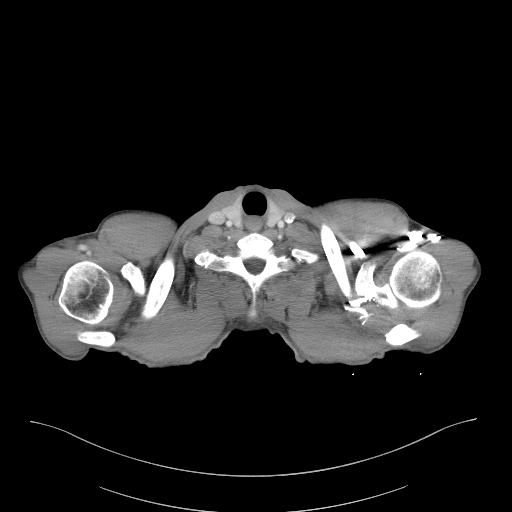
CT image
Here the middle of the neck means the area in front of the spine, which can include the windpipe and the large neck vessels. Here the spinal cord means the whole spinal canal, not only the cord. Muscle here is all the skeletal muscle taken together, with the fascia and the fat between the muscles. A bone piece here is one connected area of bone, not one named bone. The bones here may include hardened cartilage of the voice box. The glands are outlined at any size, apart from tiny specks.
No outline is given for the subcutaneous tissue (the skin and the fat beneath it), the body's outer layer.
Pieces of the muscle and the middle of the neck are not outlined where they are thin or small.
{"muscle":[{"outer":[[247,187],[280,191],[313,209],[344,200],[389,203],[402,212],[412,230],[465,246],[476,273],[443,340],[430,347],[407,343],[422,334],[398,322],[383,334],[389,345],[364,359],[315,358],[302,353],[282,323],[235,318],[201,352],[153,362],[112,346],[116,337],[107,329],[78,331],[76,339],[86,344],[74,355],[45,335],[23,277],[43,250],[96,238],[109,218],[122,213],[165,217],[175,232],[218,196]],"holes":[[[253,189],[296,217],[282,230],[258,232],[274,243],[277,253],[299,248],[316,253],[318,259],[269,277],[256,296],[257,315],[250,319],[252,294],[247,283],[229,271],[205,268],[194,257],[205,249],[220,256],[231,252],[250,232],[222,227],[208,219]],[[323,222],[338,242],[352,287],[362,264],[377,263],[373,281],[382,286],[388,282],[392,267],[400,257],[411,249],[420,249],[431,254],[439,263],[442,280],[438,299],[421,308],[403,305],[389,308],[374,301],[350,304],[338,285],[321,243],[320,226]],[[83,260],[89,260],[92,261],[105,269],[107,271],[113,285],[113,298],[112,299],[112,302],[108,308],[107,315],[101,321],[95,324],[86,323],[69,316],[64,312],[58,303],[58,298],[62,286],[62,278],[66,270],[76,262],[82,261]],[[170,240],[171,242],[166,252],[171,253],[174,259],[175,269],[173,280],[167,296],[155,316],[145,320],[140,315],[145,297],[140,296],[133,291],[130,283],[122,276],[120,270],[126,262],[129,261],[133,263],[142,271],[147,286],[165,256],[162,254]]]}],"left_arm":[[[417,221],[426,226],[436,229],[446,235],[458,238],[466,242],[477,254],[482,265],[481,276],[467,299],[461,323],[455,335],[445,346],[442,346],[437,343],[429,341],[413,332],[403,322],[399,316],[392,298],[390,289],[391,260],[403,234],[413,223]]],"thyroid_glands":[[[242,194],[243,194],[241,197],[241,200],[240,201],[240,209],[241,210],[241,225],[242,226],[242,228],[241,229],[236,226],[231,221],[230,221],[226,217],[226,216],[224,215],[222,212],[222,210],[225,207],[229,206],[232,203],[233,203],[235,200]],[[267,197],[268,197],[272,201],[273,201],[278,206],[279,206],[280,208],[281,208],[284,211],[284,213],[281,216],[280,219],[272,227],[269,227],[267,226],[266,224],[266,219],[268,215],[268,201],[267,200]]],"middle_of_the_neck":[[[253,189],[260,190],[268,196],[266,197],[267,215],[265,219],[265,224],[267,227],[272,228],[284,214],[288,223],[290,221],[290,212],[295,215],[295,220],[282,230],[278,228],[262,229],[259,231],[250,231],[243,229],[241,201],[244,194],[243,193]],[[217,211],[221,212],[223,214],[223,215],[225,216],[225,217],[230,222],[231,222],[236,227],[238,228],[236,228],[235,227],[228,227],[227,225],[222,227],[214,223],[211,223],[209,222],[208,219],[209,218],[210,214],[213,212],[216,212]]],"spinal_cord":[[[250,258],[257,258],[258,259],[260,259],[261,260],[262,260],[264,262],[264,265],[263,266],[262,269],[259,272],[258,272],[257,273],[252,273],[247,269],[247,268],[245,265],[245,263],[244,262],[244,261],[245,260],[246,260],[247,259],[249,259]]],"torso":[[[250,183],[306,204],[373,196],[402,206],[416,221],[390,260],[392,302],[413,333],[443,347],[390,351],[363,365],[299,363],[265,329],[234,330],[183,366],[148,368],[95,350],[116,289],[115,255],[95,230],[99,222],[124,208],[182,221],[216,193]]],"right_arm":[[[94,230],[102,242],[114,255],[115,289],[113,294],[112,307],[107,327],[93,349],[91,349],[87,355],[81,360],[69,360],[61,357],[51,350],[41,338],[34,321],[29,300],[17,279],[16,267],[21,261],[31,257],[42,246],[49,242],[66,236]]],"bones":[[[323,222],[338,242],[352,287],[362,264],[377,263],[373,281],[382,286],[388,282],[392,267],[400,257],[411,249],[420,249],[431,254],[439,263],[442,280],[438,299],[421,308],[403,305],[389,308],[374,301],[350,304],[338,285],[321,243],[320,226]],{"outer":[[250,232],[269,238],[278,254],[288,254],[291,249],[299,248],[318,255],[314,262],[303,261],[269,277],[257,293],[257,315],[252,319],[247,315],[252,297],[247,283],[229,271],[215,271],[194,261],[194,257],[205,249],[220,256],[231,252],[236,242]],"hole":[[250,258],[257,258],[258,259],[260,259],[261,260],[262,260],[264,262],[264,265],[263,266],[262,269],[259,272],[258,272],[257,273],[252,273],[247,269],[247,268],[245,265],[245,263],[244,262],[244,261],[245,260],[246,260],[247,259],[249,259]]},[[83,260],[89,260],[92,261],[105,269],[107,271],[113,285],[113,298],[112,299],[112,302],[108,308],[107,315],[101,321],[95,324],[86,323],[69,316],[64,312],[58,303],[58,298],[62,286],[62,278],[66,270],[76,262],[82,261]],[[168,252],[171,253],[173,256],[175,265],[174,276],[171,286],[163,304],[155,316],[148,320],[145,320],[140,315],[145,297],[140,296],[133,291],[130,283],[122,276],[120,271],[121,267],[128,261],[138,266],[143,273],[147,286],[154,276],[158,266]],[[398,323],[404,323],[408,325],[410,327],[414,329],[416,329],[421,334],[418,337],[416,338],[414,338],[401,345],[399,345],[398,346],[392,346],[388,344],[386,342],[385,340],[385,337],[384,336],[384,334],[386,332],[387,332],[394,325]],[[87,330],[107,330],[108,331],[110,331],[114,335],[115,337],[115,342],[113,345],[109,346],[108,347],[106,347],[105,346],[100,346],[99,345],[93,345],[92,344],[87,344],[86,343],[84,343],[77,339],[77,334],[78,332],[80,331],[86,331]]]}